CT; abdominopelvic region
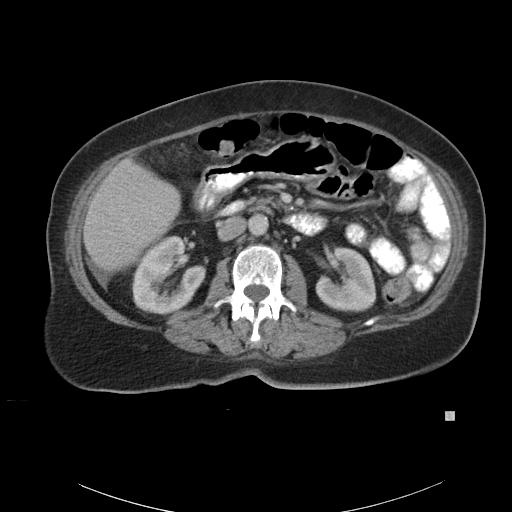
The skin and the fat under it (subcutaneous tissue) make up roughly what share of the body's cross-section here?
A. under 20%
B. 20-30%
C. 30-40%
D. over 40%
C. 30-40%
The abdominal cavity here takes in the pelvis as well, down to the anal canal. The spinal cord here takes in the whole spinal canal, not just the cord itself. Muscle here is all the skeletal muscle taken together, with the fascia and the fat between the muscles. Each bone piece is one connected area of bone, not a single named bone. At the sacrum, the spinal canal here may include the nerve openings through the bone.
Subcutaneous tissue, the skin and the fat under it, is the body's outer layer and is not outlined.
muscle: (275, 109) (291, 109) (292, 110) (311, 111) (328, 115) (351, 118) (371, 124) (387, 131) (406, 144) (423, 153) (442, 167) (449, 174) (461, 194) (463, 205) (467, 213) (467, 221) (469, 230) (468, 231) (468, 241) (467, 242) (468, 245) (467, 255) (465, 258) (465, 261) (452, 288) (449, 292) (449, 294) (445, 300) (434, 311) (419, 319) (411, 321) (408, 325) (389, 330) (377, 331) (354, 337) (337, 350) (328, 354) (309, 360) (297, 361) (294, 363) (285, 363) (284, 364) (276, 364) (273, 362) (270, 362) (260, 357) (256, 353) (251, 353) (250, 355) (237, 360) (227, 359) (226, 357) (219, 360) (218, 359) (213, 359) (212, 357) (210, 357) (208, 355) (189, 352) (176, 347) (166, 340) (159, 333) (149, 330) (130, 327) (113, 322) (93, 307) (85, 299) (75, 286) (65, 260) (65, 245) (64, 244) (64, 232) (67, 227) (67, 218) (70, 212) (71, 204) (73, 201) (74, 196) (79, 189) (79, 187) (83, 181) (87, 178) (89, 174) (104, 160) (108, 159) (117, 153) (143, 144) (152, 139) (184, 130) (198, 124) (205, 123) (212, 119) (234, 113) (250, 112) (259, 110) (274, 110), around a hole outlined by (286, 112) (382, 134) (426, 166) (450, 223) (427, 297) (371, 325) (347, 322) (308, 306) (304, 272) (285, 254) (281, 291) (297, 311) (265, 317) (257, 342) (229, 303) (213, 305) (234, 289) (229, 257) (200, 304) (161, 323) (108, 303) (81, 245) (106, 174) (210, 126)
bones 1: (254, 244) (269, 246) (278, 253) (282, 261) (281, 291) (297, 308) (293, 312) (282, 305) (278, 319) (265, 317) (259, 323) (260, 339) (257, 342) (250, 340) (252, 323) (245, 317) (233, 320) (229, 303) (225, 302) (217, 307) (213, 305) (232, 293) (233, 261) (240, 251); inner edge: (252, 284) (255, 284) (256, 285) (263, 285) (265, 286) (268, 289) (269, 291) (268, 292) (268, 294) (264, 298) (259, 300) (257, 302) (255, 302) (251, 298) (247, 296) (244, 293) (244, 289) (247, 286) (249, 285) (251, 285)
bones 2: (378, 315) (379, 315) (380, 316) (379, 317) (379, 318) (377, 320) (376, 320) (371, 325) (368, 325) (367, 326) (366, 325) (363, 325) (363, 323) (366, 320) (367, 320) (368, 319) (369, 319) (370, 318) (371, 318) (372, 317) (373, 317) (374, 316) (377, 316)
torso: (262, 79) (317, 81) (375, 95) (437, 129) (464, 155) (478, 180) (486, 221) (481, 298) (469, 340) (429, 373) (356, 388) (281, 389) (251, 374) (215, 386) (139, 393) (67, 383) (49, 363) (42, 342) (49, 293) (45, 230) (60, 171) (82, 144) (118, 121) (193, 94)
abdominal cavity: (286, 112) (382, 134) (426, 166) (450, 223) (449, 255) (427, 297) (407, 311) (347, 322) (308, 306) (293, 256) (283, 263) (254, 243) (231, 265) (229, 257) (216, 263) (200, 304) (161, 323) (108, 303) (86, 273) (81, 245) (86, 205) (106, 174) (122, 158) (210, 126)
spinal cord: (252, 284) (255, 284) (256, 285) (263, 285) (265, 286) (268, 289) (269, 291) (268, 292) (268, 294) (264, 298) (259, 300) (257, 302) (255, 302) (251, 298) (247, 296) (244, 293) (244, 289) (247, 286) (249, 285) (251, 285)